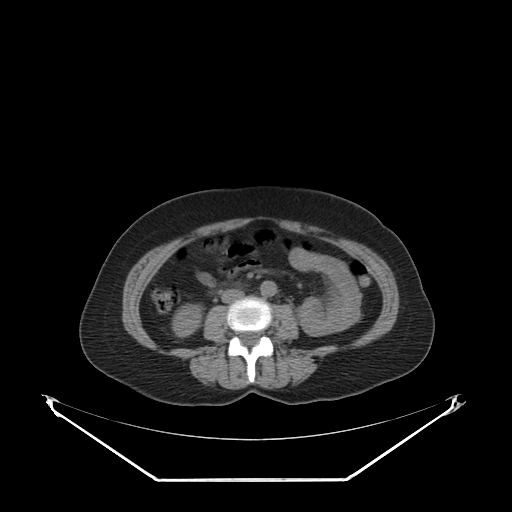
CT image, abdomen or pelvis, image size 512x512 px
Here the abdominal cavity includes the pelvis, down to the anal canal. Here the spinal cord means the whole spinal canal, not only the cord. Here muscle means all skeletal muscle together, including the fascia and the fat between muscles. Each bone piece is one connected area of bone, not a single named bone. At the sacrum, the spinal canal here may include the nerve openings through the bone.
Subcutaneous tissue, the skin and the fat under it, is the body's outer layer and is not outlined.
{"spinal_cord":[[[246,331],[253,331],[254,332],[259,332],[260,333],[260,337],[258,339],[258,341],[254,345],[253,345],[250,347],[249,347],[246,345],[244,345],[242,343],[242,342],[241,341],[241,340],[239,337],[239,334],[241,332],[245,332]]],"bones":[{"outer":[[246,296],[255,296],[265,300],[271,307],[272,315],[265,334],[271,340],[273,353],[270,356],[259,356],[257,358],[255,362],[255,378],[252,383],[248,381],[245,359],[241,355],[229,356],[227,353],[229,340],[234,335],[226,319],[228,307],[235,300]],"hole":[[246,331],[253,331],[254,332],[259,332],[260,333],[260,337],[258,339],[258,341],[254,345],[253,345],[250,347],[249,347],[246,345],[244,345],[242,343],[242,342],[241,341],[241,340],[239,337],[239,334],[241,332],[245,332]]}],"muscle":[{"outer":[[260,215],[275,217],[281,219],[288,219],[312,225],[316,225],[330,230],[340,236],[345,236],[352,240],[362,243],[372,249],[387,263],[392,270],[395,277],[399,294],[399,308],[397,317],[392,328],[387,333],[384,334],[380,338],[372,341],[369,344],[358,348],[341,352],[331,353],[326,355],[323,358],[321,363],[319,364],[317,369],[307,379],[295,387],[286,390],[272,390],[263,388],[255,384],[250,384],[239,389],[228,389],[227,388],[212,387],[204,385],[192,376],[187,369],[185,368],[183,362],[178,357],[164,355],[141,345],[125,330],[123,327],[121,319],[123,286],[127,274],[132,266],[150,249],[187,234],[192,230],[206,224],[210,224],[233,218],[254,217]],"hole":[[256,220],[271,221],[288,231],[320,239],[354,257],[379,287],[382,303],[375,321],[358,337],[341,345],[313,348],[294,343],[299,337],[299,328],[292,306],[271,304],[272,318],[265,334],[271,340],[273,353],[257,358],[255,378],[250,383],[245,359],[227,353],[229,340],[234,335],[226,319],[227,306],[217,304],[208,310],[202,328],[202,336],[208,343],[193,348],[166,349],[144,328],[140,301],[152,278],[176,250]]}],"torso":[[[255,183],[305,187],[344,197],[371,211],[398,235],[417,268],[435,318],[431,347],[415,369],[363,393],[336,400],[286,404],[249,393],[225,405],[180,406],[148,398],[107,376],[87,360],[78,337],[80,314],[103,261],[127,227],[146,211],[176,196]]],"abdominal_cavity":[[[256,220],[320,239],[354,257],[381,292],[375,321],[347,343],[302,348],[294,343],[299,328],[290,304],[270,304],[262,297],[246,295],[208,310],[202,328],[208,343],[193,348],[162,347],[146,331],[140,316],[140,301],[152,278],[184,245]]]}